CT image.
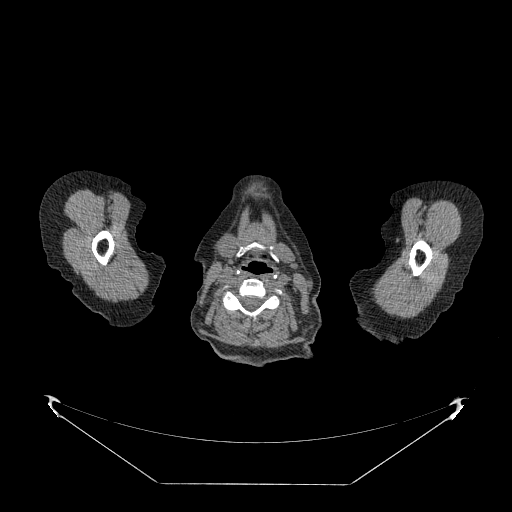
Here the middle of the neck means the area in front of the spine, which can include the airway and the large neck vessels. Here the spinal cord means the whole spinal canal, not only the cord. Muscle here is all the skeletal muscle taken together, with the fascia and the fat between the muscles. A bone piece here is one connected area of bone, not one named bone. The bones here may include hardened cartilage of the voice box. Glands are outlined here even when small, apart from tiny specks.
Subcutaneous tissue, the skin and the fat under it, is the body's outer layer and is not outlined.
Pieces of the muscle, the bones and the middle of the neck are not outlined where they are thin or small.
{"left_arm":[[[434,179],[462,183],[477,194],[484,211],[483,238],[462,289],[431,328],[419,338],[406,338],[397,345],[381,342],[356,322],[356,306],[349,289],[349,279],[357,270],[374,266],[385,251],[380,227],[393,211],[389,201],[391,194],[412,183]]],"spinal_cord":[[[245,296],[247,296],[248,297],[257,297],[258,298],[263,299],[263,301],[262,302],[262,303],[257,308],[256,308],[253,310],[248,310],[247,309],[246,309],[242,305],[242,304],[240,302],[240,301],[239,300],[239,298],[240,297],[244,297]]],"middle_of_the_neck":[{"outer":[[258,254],[266,254],[267,255],[270,255],[270,256],[276,264],[276,266],[277,267],[277,270],[272,275],[270,276],[256,276],[255,275],[252,275],[251,274],[248,274],[247,273],[241,272],[239,270],[239,266],[240,265],[241,260],[245,255],[257,255]],"hole":[[252,261],[257,261],[258,262],[263,262],[263,263],[264,264],[265,264],[267,266],[268,266],[270,268],[271,268],[271,271],[266,271],[263,273],[254,273],[254,272],[253,271],[250,271],[247,269],[244,269],[244,266],[247,265],[250,262],[251,262]]}],"submandibular_glands":[[[226,236],[231,236],[233,238],[234,238],[234,239],[236,241],[236,247],[235,248],[235,251],[233,255],[232,255],[231,257],[229,258],[222,257],[220,255],[220,254],[218,253],[218,250],[217,249],[218,248],[218,244],[220,242],[220,241],[224,237]],[[280,243],[284,243],[285,244],[287,244],[287,245],[289,246],[290,248],[291,248],[294,254],[294,259],[293,261],[292,261],[290,263],[285,263],[283,261],[281,261],[279,259],[277,255],[278,254],[277,253],[277,250],[276,249],[277,248],[278,244]]],"head_and_neck":[{"outer":[[249,174],[269,176],[280,186],[285,203],[308,240],[320,275],[321,286],[316,300],[322,325],[310,346],[315,354],[310,359],[293,357],[262,367],[224,361],[194,333],[190,325],[190,312],[202,282],[202,267],[194,260],[196,248],[229,201],[233,186]],"hole":[[252,261],[257,261],[258,262],[263,262],[263,263],[264,264],[265,264],[267,266],[268,266],[270,268],[271,268],[271,271],[266,271],[263,273],[254,273],[254,272],[253,271],[250,271],[247,269],[244,269],[244,266],[247,265],[250,262],[251,262]]}],"muscle":[{"outer":[[254,180],[264,181],[271,187],[275,201],[283,213],[283,217],[287,222],[289,229],[299,247],[303,262],[312,279],[312,290],[309,305],[311,317],[314,324],[313,327],[305,341],[278,349],[270,348],[251,349],[246,347],[244,348],[227,346],[203,335],[199,331],[197,326],[198,299],[200,293],[204,289],[206,272],[212,258],[210,247],[213,240],[224,227],[224,224],[232,208],[240,198],[240,193],[242,189],[250,181]],"holes":[[[249,277],[260,279],[270,290],[276,287],[282,291],[282,293],[278,296],[278,306],[274,309],[265,308],[256,316],[255,320],[248,319],[239,310],[226,309],[222,301],[223,294],[226,290],[224,288],[225,285],[229,285],[232,289],[235,289],[244,279]],[[252,242],[258,242],[265,246],[271,245],[272,251],[276,255],[278,254],[276,249],[278,244],[287,244],[294,254],[294,259],[290,263],[280,260],[276,264],[277,270],[270,276],[256,276],[241,272],[239,266],[244,256],[238,258],[236,254],[240,246]],[[226,236],[231,236],[233,238],[234,238],[234,239],[236,241],[236,247],[235,248],[235,251],[233,255],[232,255],[231,257],[229,258],[222,257],[220,255],[220,254],[218,253],[218,250],[217,249],[218,248],[218,244],[220,242],[220,241],[224,237]]]},{"outer":[[97,184],[108,185],[131,196],[131,208],[126,222],[128,239],[132,247],[147,264],[151,272],[152,282],[148,289],[137,298],[129,300],[124,303],[109,303],[90,293],[77,279],[62,254],[61,211],[63,208],[64,201],[68,195],[75,189],[85,185]],"hole":[[103,229],[106,229],[111,233],[112,235],[112,237],[113,238],[113,240],[114,241],[114,252],[110,257],[107,263],[105,265],[102,265],[98,262],[98,261],[94,256],[92,252],[92,249],[91,248],[91,244],[92,243],[92,238],[99,231]]},{"outer":[[409,195],[416,195],[424,199],[434,198],[437,196],[450,197],[459,205],[463,219],[462,230],[458,240],[453,245],[451,260],[442,288],[425,312],[417,319],[403,319],[391,316],[374,305],[368,296],[370,285],[386,267],[401,222],[401,206],[403,201]],"hole":[[419,237],[425,240],[431,247],[432,249],[432,257],[431,258],[430,262],[425,267],[425,268],[422,271],[421,274],[418,276],[414,276],[412,275],[411,269],[408,264],[408,260],[409,259],[409,252],[411,248],[413,246],[414,243],[418,239]]}],"bones":[{"outer":[[249,277],[260,279],[270,290],[276,287],[282,291],[282,293],[278,296],[278,306],[274,309],[265,308],[256,316],[255,320],[248,319],[239,310],[226,309],[222,301],[223,294],[226,290],[224,288],[225,285],[229,285],[232,289],[235,289],[244,279]],"hole":[[245,296],[247,296],[248,297],[257,297],[258,298],[263,299],[263,301],[262,302],[262,303],[257,308],[256,308],[253,310],[248,310],[247,309],[246,309],[242,305],[242,304],[240,302],[240,301],[239,300],[239,298],[240,297],[244,297]]},[[419,237],[425,240],[431,247],[432,249],[432,257],[431,258],[430,262],[425,267],[425,268],[422,271],[421,274],[418,276],[414,276],[412,275],[411,269],[408,264],[408,260],[409,259],[409,252],[411,248],[413,246],[414,243],[418,239]],[[103,229],[106,229],[111,233],[112,235],[112,237],[113,238],[113,240],[114,241],[114,252],[110,257],[107,263],[105,265],[102,265],[98,262],[98,261],[94,256],[92,252],[92,249],[91,248],[91,244],[92,243],[92,238],[99,231]],[[252,242],[258,242],[265,246],[271,245],[273,247],[272,251],[277,256],[279,262],[277,263],[273,259],[271,255],[269,254],[267,248],[266,249],[260,249],[257,247],[253,247],[246,251],[240,257],[238,258],[236,257],[236,254],[240,246],[245,246]]],"right_arm":[[[81,169],[115,176],[130,184],[132,193],[146,204],[135,232],[138,246],[148,252],[162,255],[166,263],[153,298],[153,310],[141,322],[130,327],[110,325],[99,314],[90,311],[73,295],[72,284],[46,261],[38,219],[41,199],[54,180],[68,172]]]}